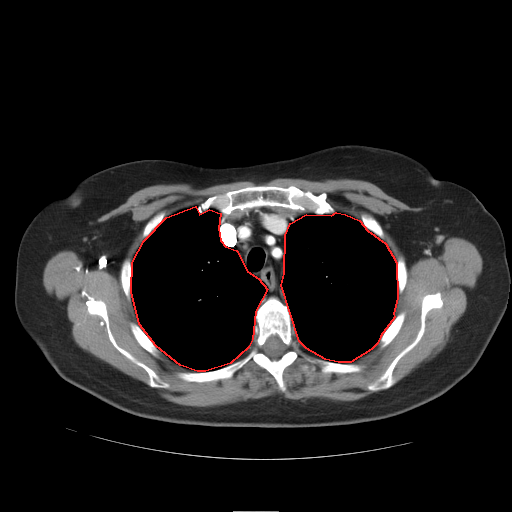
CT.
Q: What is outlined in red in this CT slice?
A: red: thoracic cavity.
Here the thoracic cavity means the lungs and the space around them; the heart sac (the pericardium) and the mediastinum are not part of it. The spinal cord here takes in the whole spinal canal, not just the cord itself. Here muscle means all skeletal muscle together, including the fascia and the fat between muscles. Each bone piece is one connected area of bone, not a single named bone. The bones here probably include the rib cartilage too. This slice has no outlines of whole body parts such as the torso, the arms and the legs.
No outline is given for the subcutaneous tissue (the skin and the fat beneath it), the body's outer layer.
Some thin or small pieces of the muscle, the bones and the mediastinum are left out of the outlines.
Outlines (x, y in pixels):
thoracic cavity 1: [[195,206],[199,214],[209,209],[220,213],[218,228],[220,240],[225,246],[236,250],[247,271],[258,278],[267,289],[255,311],[252,339],[248,347],[230,363],[205,371],[197,371],[180,365],[156,346],[139,324],[131,291],[132,262],[144,240],[166,217]]
thoracic cavity 2: [[336,212],[345,214],[359,220],[367,230],[385,243],[396,262],[397,298],[393,313],[394,317],[380,336],[377,343],[371,349],[350,362],[338,362],[325,359],[306,348],[299,341],[281,285],[284,273],[285,235],[290,223],[306,214],[331,215]]
spinal cord: [[274,335],[277,336],[280,339],[280,340],[285,346],[285,351],[284,353],[279,358],[277,359],[272,359],[270,358],[267,355],[266,355],[266,354],[264,352],[264,345],[267,339],[269,337],[271,336],[273,336]]
muscle 1: [[276,178],[361,179],[375,184],[387,194],[411,207],[422,208],[417,212],[401,212],[392,217],[390,222],[389,230],[410,263],[422,257],[435,257],[440,254],[443,242],[448,237],[464,238],[475,245],[483,262],[481,274],[474,288],[467,292],[466,309],[453,327],[449,341],[437,355],[422,362],[395,384],[393,371],[399,360],[421,340],[425,332],[427,314],[443,306],[444,302],[439,291],[423,296],[420,306],[420,325],[414,339],[395,356],[375,381],[367,385],[367,389],[374,392],[353,401],[318,398],[301,400],[289,399],[281,395],[204,407],[168,401],[154,388],[168,388],[170,385],[163,381],[153,369],[117,343],[111,331],[106,303],[101,299],[86,300],[87,312],[102,319],[111,344],[146,372],[147,384],[125,374],[75,343],[66,311],[53,296],[47,294],[43,286],[43,270],[46,262],[54,254],[65,249],[74,251],[89,270],[117,270],[124,249],[134,233],[132,222],[123,214],[94,224],[92,223],[99,217],[123,203],[134,192],[150,185],[189,183],[196,187],[206,187],[236,181],[262,183]], around a hole outlined by [[256,185],[325,193],[336,212],[357,220],[365,212],[381,226],[395,261],[404,258],[407,279],[393,313],[404,311],[403,323],[386,346],[377,343],[350,362],[363,364],[360,371],[323,372],[309,362],[304,369],[307,361],[299,355],[283,370],[283,392],[252,360],[229,378],[192,382],[177,375],[192,369],[163,352],[154,356],[133,335],[130,323],[139,321],[120,270],[126,258],[133,261],[147,222],[163,210],[167,217]]
muscle 2: [[298,340],[298,341],[306,349],[307,349],[309,351],[312,352],[314,354],[316,354],[318,356],[319,356],[322,358],[320,358],[319,357],[316,357],[315,356],[312,356],[311,355],[306,353],[300,347],[300,346],[299,345],[299,343],[298,342]]
muscle 3: [[252,341],[253,343],[252,344],[252,346],[251,348],[248,351],[248,352],[241,358],[239,359],[237,359],[234,361],[234,360],[237,359],[240,356],[241,356],[242,354],[244,353],[244,352],[249,347]]
mediastinum: [[254,207],[281,207],[292,212],[307,213],[290,222],[284,235],[283,273],[280,285],[286,304],[272,295],[264,300],[262,299],[268,291],[266,285],[258,277],[248,271],[237,250],[234,247],[225,245],[219,235],[221,213],[230,214],[235,210],[242,211]]
bones 1: [[272,296],[287,306],[298,345],[306,354],[363,364],[360,371],[323,372],[309,362],[304,369],[307,361],[299,355],[283,370],[283,392],[275,378],[252,360],[229,378],[192,382],[178,377],[177,372],[216,370],[244,357],[254,343],[256,311],[262,300]], around a hole outlined by [[274,335],[277,336],[280,339],[280,340],[285,346],[285,351],[284,353],[279,358],[277,359],[272,359],[270,358],[267,355],[266,355],[266,354],[264,352],[264,345],[267,339],[269,337],[271,336],[273,336]]
bones 2: [[256,185],[280,187],[293,185],[303,191],[309,191],[314,195],[325,193],[326,201],[335,212],[331,214],[315,214],[292,211],[281,206],[254,206],[242,210],[235,209],[230,213],[222,213],[214,208],[209,208],[199,213],[197,211],[197,206],[209,197]]
bones 3: [[437,292],[440,293],[443,304],[440,308],[433,308],[426,314],[424,332],[420,340],[398,360],[392,371],[392,376],[395,379],[395,382],[386,389],[376,391],[368,389],[368,385],[375,382],[396,356],[415,339],[421,325],[422,300],[427,294],[433,294]]
bones 4: [[93,300],[101,300],[105,303],[110,331],[116,343],[140,362],[153,370],[163,382],[169,385],[168,387],[151,387],[148,384],[149,376],[147,372],[141,366],[126,357],[112,344],[109,339],[103,319],[99,315],[90,314],[88,312],[86,301]]
bones 5: [[402,311],[404,311],[405,312],[405,317],[404,318],[403,323],[399,331],[394,337],[394,338],[386,346],[381,348],[378,345],[378,342],[381,336],[383,334],[385,330],[389,326],[389,325],[391,323],[393,319],[400,312]]
bones 6: [[131,322],[136,323],[139,325],[139,326],[144,332],[144,333],[155,345],[155,346],[161,352],[159,356],[157,357],[156,356],[154,356],[147,350],[143,348],[139,344],[139,343],[136,340],[135,337],[133,335],[131,331],[131,329],[130,328],[130,323]]
bones 7: [[126,258],[128,258],[131,262],[131,282],[130,283],[130,291],[131,292],[131,301],[129,301],[128,300],[128,299],[122,288],[122,285],[121,284],[121,280],[120,279],[120,270],[121,269],[121,266],[122,265],[122,263],[123,262],[123,261]]
bones 8: [[361,212],[365,212],[373,216],[377,220],[377,221],[379,223],[379,224],[381,226],[383,230],[383,232],[384,233],[384,241],[382,239],[378,237],[374,233],[373,233],[365,227],[365,226],[360,220],[360,214]]
bones 9: [[399,256],[402,256],[404,258],[404,260],[405,261],[405,264],[406,265],[406,270],[407,271],[407,279],[406,280],[406,283],[405,284],[405,286],[404,287],[404,288],[403,289],[402,292],[400,294],[399,294],[398,293],[398,282],[397,281],[397,259]]
bones 10: [[163,210],[164,210],[166,212],[166,216],[162,220],[162,221],[160,223],[160,224],[154,230],[153,230],[147,237],[144,238],[142,235],[142,233],[143,232],[143,229],[144,228],[145,225],[147,223],[147,222],[156,214],[157,214],[159,212],[160,212]]